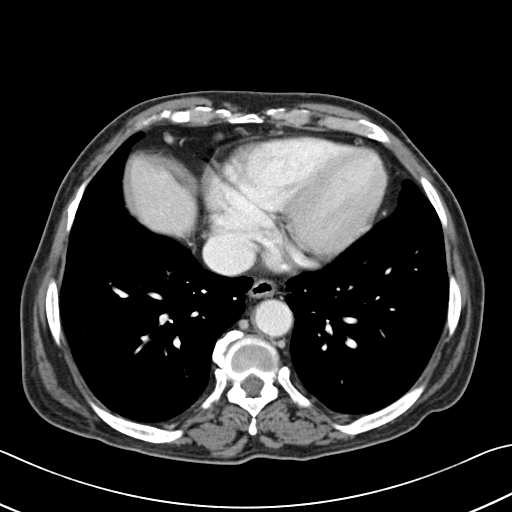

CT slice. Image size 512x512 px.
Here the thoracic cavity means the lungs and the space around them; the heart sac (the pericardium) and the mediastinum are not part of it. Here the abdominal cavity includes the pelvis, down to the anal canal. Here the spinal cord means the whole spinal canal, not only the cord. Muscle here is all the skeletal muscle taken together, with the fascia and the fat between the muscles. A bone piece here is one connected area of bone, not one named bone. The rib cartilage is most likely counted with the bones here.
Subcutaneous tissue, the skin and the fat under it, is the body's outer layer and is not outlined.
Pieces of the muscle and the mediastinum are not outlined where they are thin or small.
bones 1: 230,330 271,344 280,363 290,369 291,381 312,406 300,407 278,384 278,397 256,415 257,431 254,435 248,432 249,412 229,402 224,392 211,407 202,409 200,406 215,383 212,362 215,343, around a hole outlined by 250,375 253,375 254,376 257,377 260,380 261,380 261,381 262,382 262,386 259,391 259,394 257,396 248,396 247,395 247,393 246,392 246,391 242,387 242,383 246,379 246,378 247,377 248,377
bones 2: 196,106 258,115 263,115 269,108 307,109 311,113 311,121 295,127 277,126 269,116 265,116 262,123 233,124 214,118 207,125 173,123 163,119 136,130 135,124 139,120 165,109 176,111
bones 3: 87,399 90,399 99,406 106,408 112,413 121,416 128,420 148,424 165,429 168,428 169,429 180,428 183,430 183,434 180,437 170,442 165,443 153,443 132,437 112,428 104,422 91,408 87,401
bones 4: 423,383 425,383 426,385 424,390 419,397 405,411 386,423 384,423 370,430 357,434 347,434 337,429 335,429 332,426 332,423 334,422 340,424 348,423 362,415 369,414 380,410 397,400 412,387 415,387
bones 5: 325,116 333,116 337,118 353,119 354,120 365,119 368,121 373,122 378,125 385,132 390,139 390,142 385,145 375,139 372,139 357,133 339,129 328,129 324,126 319,126 316,124 315,122 316,120
bones 6: 51,278 53,278 55,280 59,289 58,291 59,314 60,315 61,327 64,334 64,338 61,340 61,343 59,346 55,343 51,334 48,325 48,321 46,315 46,309 45,308 46,291 47,290 48,283
bones 7: 450,274 452,274 454,276 459,285 460,292 461,293 461,309 459,314 459,319 454,330 454,332 451,336 448,335 448,330 444,328 445,322 446,321 446,316 447,315 447,308 448,307 448,299 449,298 449,275
bones 8: 421,176 424,176 433,185 437,191 437,193 441,200 441,202 442,203 442,205 445,212 446,219 447,220 447,225 445,229 442,229 441,223 439,220 439,218 433,206 429,201 421,186 421,184 419,180 419,178
bones 9: 90,176 92,176 92,177 85,187 85,189 79,202 78,207 76,210 73,223 71,226 71,229 69,232 69,234 68,234 66,232 67,215 68,214 67,209 68,206 70,202 74,198 75,194 82,182
thoracic cavity 1: 138,131 143,136 132,146 121,178 123,204 129,215 151,232 188,248 203,268 252,281 241,315 214,343 209,389 203,401 181,421 167,427 116,414 94,395 72,355 59,304 69,235 86,187 115,150
thoracic cavity 2: 405,179 413,180 421,188 442,230 448,274 445,321 433,352 413,385 384,407 351,419 334,414 323,404 304,394 302,381 289,352 295,317 286,301 290,292 287,282 302,272 316,271 330,264 390,214 396,207
pericardium: 290,132 321,132 363,140 378,148 391,168 385,200 373,226 325,266 316,270 307,270 295,275 284,276 270,270 252,244 234,237 223,237 205,232 202,228 202,210 200,209 198,187 199,175 218,146 233,139
abdominal cavity: 134,148 160,150 166,154 170,154 171,156 177,158 182,162 195,176 195,181 197,182 199,209 201,210 201,227 195,234 193,249 191,250 170,237 151,231 132,217 126,209 122,192 122,178 126,160 130,152
spinal cord: 250,375 253,375 254,376 257,377 260,380 261,380 261,381 262,382 262,386 259,391 259,394 257,396 248,396 247,395 247,393 246,392 246,391 242,387 242,383 246,379 246,378 247,377 248,377
torso: 207,89 321,92 358,100 390,117 443,177 464,214 485,284 475,365 455,404 398,437 364,448 308,460 260,457 237,465 188,463 117,449 55,427 34,411 21,383 20,294 64,175 86,144 126,109 157,96
mediastinum 1: 200,228 208,235 234,238 252,245 270,271 291,277 286,282 289,292 285,297 294,317 288,352 303,393 271,343 238,329 227,331 242,315 245,296 253,281 247,276 221,275 203,267 192,252
mediastinum 2: 221,122 264,122 277,127 357,134 387,147 413,179 401,182 395,207 377,222 392,168 380,149 359,138 290,131 233,138 218,145 198,175 198,186 196,176 177,157 160,149 132,148 144,136 142,130 153,126
muscle 1: 193,96 208,98 216,104 227,101 248,112 196,105 176,110 165,108 139,119 134,124 137,131 114,150 93,176 81,182 66,209 65,232 68,240 61,280 59,288 53,277 49,279 44,308 54,343 59,347 65,337 84,382 105,407 87,398 90,408 107,425 90,421 53,398 38,373 33,344 33,307 38,280 63,208 92,158 130,118 156,104
muscle 2: 278,385 300,408 310,409 310,398 334,415 350,418 331,426 352,438 272,448 250,436 233,456 166,443 184,434 182,428 169,426 199,407 211,408 224,393 229,403 248,412 247,432 254,436 257,415 279,397
muscle 3: 437,189 451,215 468,281 471,315 465,346 457,367 440,388 399,419 377,428 401,415 420,397 427,385 425,382 415,386 414,384 428,364 443,329 451,337 460,319 462,293 455,276 448,273 443,234 448,220
muscle 4: 299,102 318,102 341,106 358,111 370,118 372,121 365,118 354,119 325,115 317,118 314,122 317,126 327,129 313,129 302,127 308,125 312,121 312,113 309,109 296,107 287,109 284,106 280,106 291,105
muscle 5: 380,126 382,126 395,135 413,153 418,161 427,169 433,178 434,185 436,188 424,175 421,175 418,178 420,186 416,182 412,175 408,171 408,170 404,166 396,155 387,146 386,146 391,142 391,139 386,132